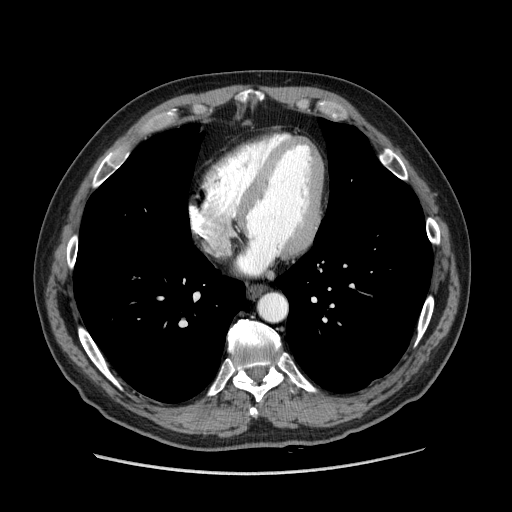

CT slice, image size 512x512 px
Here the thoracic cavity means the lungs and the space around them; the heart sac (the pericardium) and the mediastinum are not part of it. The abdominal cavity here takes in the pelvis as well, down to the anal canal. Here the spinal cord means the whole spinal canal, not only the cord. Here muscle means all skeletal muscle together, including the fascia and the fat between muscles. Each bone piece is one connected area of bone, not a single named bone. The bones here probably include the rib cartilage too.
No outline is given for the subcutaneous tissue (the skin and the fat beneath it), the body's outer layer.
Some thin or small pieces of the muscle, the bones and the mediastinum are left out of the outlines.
Outlines (x, y in pixels):
abdominal cavity: (266, 97) (278, 103) (281, 103) (283, 107) (265, 107) (262, 105) (258, 105) (253, 109) (248, 107) (238, 118) (233, 121) (222, 121) (212, 117) (207, 118) (208, 114) (210, 114) (216, 108) (226, 104) (233, 99) (238, 104) (246, 106) (250, 103) (262, 103) (266, 99)
thoracic cavity 1: (189, 122) (198, 123) (199, 131) (203, 133) (187, 198) (191, 241) (221, 272) (243, 282) (245, 299) (228, 327) (226, 355) (208, 387) (186, 401) (170, 404) (136, 391) (110, 367) (84, 325) (74, 296) (73, 271) (78, 255) (80, 224) (92, 192) (122, 165) (140, 142)
thoracic cavity 2: (318, 117) (346, 122) (358, 128) (369, 140) (379, 161) (412, 188) (422, 208) (425, 232) (433, 254) (427, 294) (407, 349) (385, 375) (348, 393) (334, 393) (314, 384) (284, 349) (290, 305) (282, 290) (274, 284) (277, 276) (311, 248) (327, 209) (330, 191) (327, 144)
spinal cord: (255, 366) (261, 366) (262, 367) (265, 367) (266, 368) (266, 373) (265, 374) (265, 375) (262, 378) (262, 379) (260, 382) (257, 382) (256, 381) (255, 381) (252, 378) (251, 378) (249, 376) (249, 375) (247, 372) (247, 371) (249, 369) (250, 369) (251, 368) (252, 368)
muscle: (239, 83) (252, 84) (254, 86) (259, 84) (268, 86) (311, 86) (331, 91) (346, 99) (366, 120) (384, 134) (401, 150) (403, 155) (412, 165) (418, 174) (427, 183) (429, 188) (434, 195) (434, 198) (439, 208) (440, 213) (449, 230) (450, 238) (452, 243) (452, 248) (455, 256) (455, 263) (460, 285) (460, 293) (459, 294) (457, 311) (449, 331) (444, 337) (437, 349) (429, 357) (428, 360) (421, 366) (419, 370) (401, 388) (386, 399) (374, 405) (361, 416) (336, 424) (333, 426) (329, 427) (311, 427) (305, 429) (296, 429) (295, 428) (286, 428) (285, 427) (281, 428) (273, 425) (265, 418) (259, 417) (254, 419) (251, 422) (247, 430) (242, 433) (229, 437) (200, 436) (196, 434) (188, 434) (187, 433) (178, 432) (163, 427) (153, 421) (124, 407) (112, 399) (101, 388) (95, 385) (68, 358) (67, 355) (62, 350) (55, 339) (48, 319) (44, 292) (47, 284) (48, 277) (50, 274) (50, 267) (53, 260) (53, 253) (57, 245) (61, 229) (66, 221) (73, 197) (76, 193) (81, 182) (96, 160) (116, 139) (121, 136) (142, 115) (158, 104) (170, 98) (182, 94) (199, 93) with holes at (246, 88) (294, 110) (303, 98) (312, 104) (323, 99) (337, 102) (347, 112) (341, 121) (358, 128) (377, 154) (388, 147) (400, 157) (424, 217) (432, 216) (440, 231) (438, 245) (432, 246) (427, 293) (434, 297) (434, 307) (429, 323) (417, 345) (412, 347) (413, 336) (389, 372) (353, 392) (334, 393) (317, 385) (315, 393) (302, 388) (292, 393) (286, 377) (258, 402) (229, 381) (227, 395) (221, 391) (207, 396) (205, 389) (170, 404) (136, 391) (111, 367) (120, 390) (96, 367) (79, 340) (77, 326) (84, 322) (67, 263) (67, 243) (79, 233) (94, 190) (94, 174) (119, 145) (133, 139) (133, 149) (144, 140) (149, 135) (139, 129) (155, 114) (175, 107) (180, 121) (206, 116) (190, 110) (194, 103) (213, 111) and at (252, 406) (254, 406) (255, 407) (256, 407) (257, 408) (257, 409) (258, 410) (258, 415) (257, 416) (257, 417) (256, 417) (255, 418) (254, 417) (253, 417) (249, 413) (249, 408) (250, 407) (251, 407)
mediastinum 1: (284, 105) (301, 112) (319, 113) (327, 118) (318, 116) (316, 119) (326, 144) (327, 163) (325, 154) (313, 137) (304, 129) (289, 124) (246, 129) (212, 153) (193, 177) (204, 137) (198, 122) (189, 121) (147, 137) (189, 116) (233, 122) (248, 108) (283, 108)
mediastinum 2: (237, 278) (248, 280) (259, 279) (273, 280) (274, 279) (273, 284) (281, 290) (286, 297) (289, 305) (289, 310) (285, 325) (285, 343) (283, 343) (281, 336) (274, 328) (262, 321) (247, 317) (239, 317) (232, 323) (236, 314) (243, 307) (246, 299) (245, 284) (241, 279)
torso: (241, 69) (302, 70) (341, 77) (377, 94) (401, 115) (443, 171) (462, 209) (471, 250) (469, 301) (455, 347) (430, 387) (367, 429) (314, 446) (189, 451) (113, 423) (85, 402) (65, 378) (42, 333) (33, 292) (34, 254) (59, 181) (90, 137) (116, 110) (170, 80)
bones 1: (239, 318) (256, 320) (274, 329) (281, 338) (283, 349) (317, 387) (318, 392) (298, 388) (292, 393) (289, 390) (292, 384) (286, 377) (270, 388) (258, 402) (250, 392) (236, 388) (230, 381) (225, 388) (227, 395) (221, 391) (207, 396) (206, 391) (227, 355) (229, 327) with a hole at (255, 366) (261, 366) (262, 367) (265, 367) (266, 368) (266, 373) (265, 374) (265, 375) (262, 378) (262, 379) (260, 382) (257, 382) (256, 381) (255, 381) (252, 378) (251, 378) (249, 376) (249, 375) (247, 372) (247, 371) (249, 369) (250, 369) (251, 368) (252, 368)
bones 2: (131, 139) (133, 139) (133, 142) (132, 143) (132, 149) (126, 159) (121, 164) (121, 165) (99, 186) (98, 186) (95, 189) (93, 189) (91, 187) (92, 179) (94, 176) (94, 174) (98, 166) (104, 157) (109, 152) (114, 150) (119, 145) (122, 144) (124, 142) (129, 141)
bones 3: (78, 325) (82, 325) (84, 326) (84, 327) (87, 330) (93, 341) (108, 363) (108, 365) (111, 371) (119, 380) (120, 383) (123, 387) (123, 390) (120, 390) (117, 387) (116, 387) (92, 362) (86, 353) (84, 348) (82, 346) (79, 340) (78, 334) (77, 333) (77, 326)
bones 4: (303, 98) (309, 99) (311, 101) (312, 104) (317, 100) (322, 100) (323, 99) (331, 100) (337, 102) (346, 110) (347, 112) (347, 118) (341, 121) (332, 120) (316, 110) (314, 108) (313, 105) (312, 105) (307, 111) (306, 110) (305, 111) (301, 111) (297, 108) (295, 103)
bones 5: (174, 107) (178, 109) (178, 113) (179, 114) (179, 118) (178, 119) (179, 121) (177, 123) (173, 125) (162, 128) (159, 130) (156, 130) (146, 135) (142, 135) (139, 132) (139, 129) (142, 124) (143, 124) (150, 117) (153, 116) (155, 114) (157, 114) (160, 112) (168, 110)
bones 6: (385, 147) (388, 147) (390, 148) (393, 151) (394, 151) (400, 157) (400, 158) (402, 160) (406, 168) (406, 170) (408, 174) (408, 180) (407, 181) (404, 181) (400, 179) (398, 177) (397, 177) (393, 173) (392, 173) (380, 161) (378, 157) (378, 153) (381, 152)
bones 7: (428, 294) (432, 294) (434, 297) (434, 307) (433, 308) (433, 311) (432, 312) (429, 323) (423, 335) (421, 337) (417, 345) (414, 348) (413, 348) (412, 347) (412, 344) (413, 343) (413, 340) (416, 333) (417, 323) (418, 322) (419, 316) (422, 310) (424, 302)
bones 8: (246, 88) (253, 88) (254, 89) (257, 89) (258, 90) (263, 92) (265, 95) (265, 99) (262, 102) (258, 102) (257, 101) (254, 103) (251, 103) (250, 102) (246, 105) (243, 105) (241, 103) (238, 103) (234, 99) (234, 96) (239, 91) (240, 91) (243, 89) (245, 89)
bones 9: (74, 233) (77, 233) (78, 235) (78, 241) (77, 242) (77, 255) (75, 259) (75, 263) (74, 264) (73, 270) (72, 271) (70, 271) (68, 267) (68, 264) (67, 263) (67, 252) (66, 251) (66, 248) (67, 247) (67, 243) (68, 242) (69, 238) (72, 235) (72, 234)
bones 10: (427, 216) (432, 216) (435, 219) (435, 220) (437, 222) (437, 223) (439, 226) (439, 230) (440, 231) (440, 235) (439, 236) (440, 237) (439, 238) (439, 243) (438, 244) (438, 245) (432, 245) (432, 244) (428, 239) (428, 237) (427, 236) (427, 233) (426, 232) (426, 217)
pericardium: (272, 125) (289, 125) (304, 130) (312, 137) (324, 154) (327, 164) (327, 199) (325, 211) (309, 249) (294, 263) (277, 274) (273, 279) (248, 279) (236, 277) (216, 267) (206, 257) (192, 237) (188, 206) (191, 184) (200, 166) (212, 154) (225, 146) (234, 137) (246, 130)